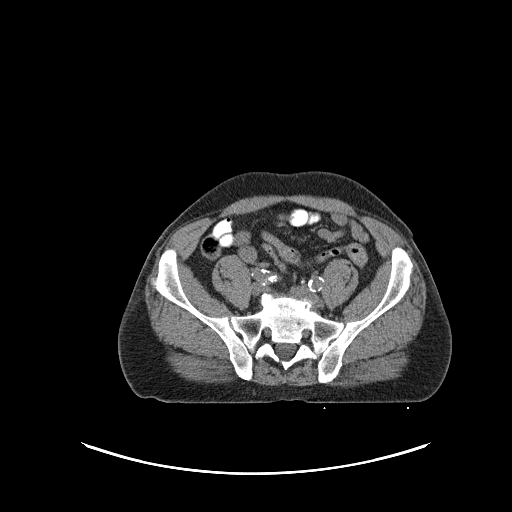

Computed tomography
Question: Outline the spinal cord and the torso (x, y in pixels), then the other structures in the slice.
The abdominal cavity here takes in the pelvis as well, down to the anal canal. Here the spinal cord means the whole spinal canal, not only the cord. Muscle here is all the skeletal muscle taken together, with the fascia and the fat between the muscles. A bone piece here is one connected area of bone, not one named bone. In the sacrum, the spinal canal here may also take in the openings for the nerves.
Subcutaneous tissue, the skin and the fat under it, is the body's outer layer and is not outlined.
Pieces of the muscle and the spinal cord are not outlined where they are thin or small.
Answer: Outlines (x, y in pixels):
spinal cord: [[282,343],[285,343],[286,344],[293,344],[294,345],[295,345],[296,346],[296,349],[295,350],[295,351],[294,352],[294,353],[293,354],[293,355],[289,359],[282,359],[276,353],[276,351],[275,350],[275,346],[277,344],[281,344]]
torso: [[308,170],[334,172],[356,180],[380,198],[412,231],[439,291],[452,333],[451,360],[438,390],[426,400],[410,403],[323,404],[302,400],[167,403],[137,396],[127,384],[119,364],[117,333],[137,276],[162,231],[202,194],[229,177],[248,171],[291,173]]
bones: [[397,246],[413,266],[409,288],[356,335],[326,383],[318,381],[317,358],[285,370],[268,356],[253,356],[251,379],[240,378],[220,336],[151,284],[162,252],[172,248],[185,295],[208,316],[253,314],[265,292],[306,297],[322,317],[346,323],[381,300]], around holes outlined by [[282,343],[285,343],[286,344],[293,344],[294,345],[295,345],[296,346],[296,349],[295,350],[295,351],[294,352],[294,353],[293,354],[293,355],[289,359],[282,359],[276,353],[276,351],[275,350],[275,346],[277,344],[281,344]] and by [[304,329],[305,329],[306,329],[307,329],[308,330],[309,331],[310,332],[310,333],[310,334],[310,335],[310,336],[309,337],[308,338],[307,338],[306,338],[305,337],[304,337],[303,336],[303,335],[303,334],[303,333],[303,332],[303,331],[303,330]] and by [[265,329],[266,329],[267,329],[268,329],[269,330],[269,331],[269,332],[269,333],[269,334],[269,335],[269,336],[268,337],[267,337],[266,337],[265,337],[264,336],[263,335],[263,334],[263,333],[263,332],[263,331],[264,330]]
abdominal cavity: [[283,201],[353,216],[365,226],[375,241],[378,266],[373,278],[343,308],[341,315],[335,320],[324,317],[312,309],[313,301],[306,296],[297,298],[265,291],[259,297],[259,310],[248,314],[236,314],[210,294],[186,263],[201,236],[218,219],[253,212]], around a hole outlined by [[231,255],[235,256],[241,262],[242,262],[249,270],[249,277],[250,278],[250,282],[251,283],[251,293],[249,296],[249,300],[247,304],[243,305],[241,307],[236,306],[220,293],[215,288],[212,280],[212,274],[218,262],[225,256],[230,256]]
muscle 1: [[256,195],[336,198],[372,212],[392,225],[410,244],[426,284],[427,302],[410,361],[396,380],[353,387],[264,385],[249,381],[253,377],[253,357],[268,357],[285,371],[304,359],[317,359],[317,381],[320,384],[331,382],[343,365],[346,349],[357,335],[396,305],[412,283],[412,260],[403,247],[394,246],[390,251],[387,284],[378,303],[359,319],[336,320],[374,278],[379,266],[376,241],[353,215],[289,200],[218,218],[200,236],[185,260],[209,294],[235,314],[211,316],[199,310],[184,291],[176,250],[167,247],[161,252],[150,284],[161,296],[219,336],[227,348],[234,372],[241,379],[197,383],[171,370],[151,327],[145,302],[146,279],[157,250],[171,233],[188,221]]
muscle 2: [[231,255],[235,256],[241,262],[242,262],[249,270],[249,277],[250,278],[250,282],[251,283],[251,293],[249,296],[249,300],[247,304],[243,305],[241,307],[236,306],[220,293],[215,288],[212,280],[212,274],[218,262],[225,256],[230,256]]
muscle 3: [[335,259],[345,259],[353,265],[353,267],[357,275],[357,283],[352,293],[344,301],[343,301],[340,304],[331,308],[326,303],[323,296],[323,290],[324,289],[324,284],[325,283],[325,278],[323,274],[324,273],[324,270],[327,265],[330,262],[333,261]]